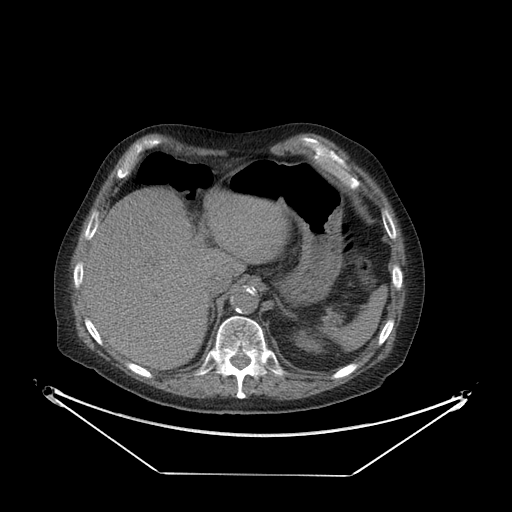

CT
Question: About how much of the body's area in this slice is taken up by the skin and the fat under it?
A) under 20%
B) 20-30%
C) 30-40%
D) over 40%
Answer: A) under 20%
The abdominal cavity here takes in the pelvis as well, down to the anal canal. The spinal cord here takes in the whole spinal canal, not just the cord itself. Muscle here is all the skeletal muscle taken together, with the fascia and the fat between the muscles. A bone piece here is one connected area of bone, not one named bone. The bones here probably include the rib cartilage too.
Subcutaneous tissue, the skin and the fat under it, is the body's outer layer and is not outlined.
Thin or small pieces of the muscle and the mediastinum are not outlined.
Outlined structures:
mediastinum 1: 244 284; 248 284; 249 285; 255 286; 260 295; 260 311; 259 312; 259 315; 260 316; 261 323; 260 324; 255 319; 249 316; 243 315; 239 313; 237 314; 232 314; 226 317; 221 321; 221 315; 224 308; 224 303; 228 294; 233 288
mediastinum 2: 366 197; 368 199; 369 199; 370 201; 371 201; 371 202; 373 204; 375 208; 379 212; 380 214; 376 214; 373 212; 371 212; 369 211; 368 209; 368 206; 367 205; 367 202; 366 201
abdominal cavity: 155 150; 206 158; 232 152; 303 154; 360 192; 368 211; 380 215; 391 249; 387 319; 369 347; 335 371; 284 367; 265 338; 261 295; 248 283; 227 294; 213 345; 197 367; 157 373; 104 342; 82 295; 86 252; 118 185; 139 157
bones 1: 238 314; 255 320; 261 326; 267 346; 273 351; 286 372; 283 375; 277 375; 268 370; 257 380; 247 374; 242 381; 244 398; 236 397; 237 379; 234 375; 223 377; 214 367; 202 375; 194 375; 195 370; 213 347; 220 324; 226 318; inner edge: 236 355; 245 355; 246 356; 247 356; 249 358; 249 363; 247 365; 246 365; 244 367; 243 367; 242 368; 238 368; 237 367; 236 367; 234 365; 233 365; 232 364; 232 363; 231 362; 231 358; 232 357; 233 357; 234 356; 235 356
bones 2: 302 137; 311 137; 317 139; 330 149; 333 150; 346 162; 349 167; 348 171; 352 175; 357 177; 360 182; 359 186; 355 189; 352 189; 329 170; 318 163; 316 163; 312 157; 314 154; 314 151; 302 143; 300 140; 300 138
bones 3: 153 138; 159 138; 161 140; 161 142; 157 145; 147 148; 142 151; 135 158; 134 163; 131 166; 129 173; 123 178; 120 179; 118 178; 116 175; 117 170; 122 165; 126 156; 132 149; 134 145; 137 143; 140 143; 145 139; 152 139
bones 4: 384 208; 387 209; 388 212; 390 214; 392 218; 392 220; 393 221; 393 223; 395 227; 395 231; 396 232; 396 236; 395 237; 395 239; 391 239; 389 237; 384 227; 384 225; 382 221; 382 217; 381 216; 381 211; 382 209
bones 5: 94 210; 97 210; 99 212; 99 215; 98 216; 98 218; 99 219; 99 222; 98 223; 97 228; 93 236; 91 238; 91 239; 88 240; 85 238; 84 234; 85 233; 85 230; 87 227; 87 225; 88 224; 90 216; 92 212
bones 6: 353 362; 356 363; 358 365; 358 366; 351 373; 350 373; 343 377; 340 377; 339 378; 335 378; 334 379; 332 379; 331 378; 330 378; 331 375; 337 370; 338 370; 340 368; 341 368; 342 367; 343 367; 350 363; 352 363
bones 7: 78 261; 82 261; 83 262; 83 277; 82 278; 82 282; 81 283; 81 284; 80 285; 80 286; 78 288; 76 288; 75 287; 75 285; 74 284; 74 280; 73 279; 73 271; 74 270; 74 268; 75 267; 75 265; 76 264; 76 263
bones 8: 390 318; 391 318; 394 320; 394 322; 393 323; 393 326; 392 327; 392 329; 391 330; 390 333; 388 335; 388 336; 384 341; 384 342; 381 345; 378 345; 378 336; 379 335; 382 328; 384 326; 386 321; 388 319; 389 319
bones 9: 394 264; 396 264; 397 265; 398 265; 399 266; 399 267; 400 268; 400 269; 401 270; 401 272; 402 273; 402 283; 401 284; 401 287; 399 289; 397 289; 392 284; 392 267; 393 266; 393 265
bones 10: 86 317; 89 318; 89 319; 91 321; 91 322; 93 324; 93 325; 97 330; 99 335; 101 337; 101 338; 103 341; 103 343; 102 344; 102 345; 100 345; 92 337; 92 336; 88 331; 88 330; 85 325; 85 323; 84 322; 84 319
bones 11: 128 361; 129 362; 131 362; 132 363; 137 364; 138 365; 139 365; 140 366; 141 366; 142 367; 147 369; 152 374; 152 377; 149 378; 148 377; 146 377; 145 376; 140 375; 139 374; 138 374; 137 373; 132 371; 126 366; 126 363
torso: 289 122; 325 125; 369 149; 384 167; 412 220; 423 253; 425 294; 419 324; 403 364; 379 388; 340 403; 299 412; 241 415; 189 412; 150 402; 63 355; 56 346; 55 259; 62 238; 108 152; 128 135; 159 123; 184 123; 242 132
muscle: 151 133; 187 145; 225 150; 268 148; 300 133; 314 133; 335 143; 371 175; 395 213; 406 260; 405 300; 388 356; 350 380; 310 396; 245 398; 247 375; 257 381; 268 371; 283 376; 285 368; 301 374; 334 372; 330 379; 343 378; 359 366; 355 361; 374 340; 377 338; 378 346; 385 342; 394 326; 395 320; 388 318; 392 286; 402 287; 403 273; 398 264; 390 263; 389 239; 397 236; 393 218; 387 208; 380 213; 356 189; 361 182; 349 171; 347 162; 311 136; 299 140; 313 151; 312 156; 266 150; 206 157; 155 149; 136 159; 162 140; 153 137; 135 143; 116 170; 116 177; 122 179; 101 215; 99 218; 100 212; 94 209; 89 216; 83 234; 89 241; 85 257; 72 271; 74 287; 81 286; 87 331; 100 346; 105 343; 127 360; 128 369; 150 379; 151 372; 178 374; 196 368; 193 375; 202 376; 214 368; 223 378; 235 377; 235 397; 194 398; 164 391; 135 379; 90 350; 75 327; 69 288; 71 257; 102 184; 129 146
spinal cord: 236 355; 245 355; 246 356; 247 356; 249 358; 249 363; 247 365; 246 365; 244 367; 243 367; 242 368; 238 368; 237 367; 236 367; 234 365; 233 365; 232 364; 232 363; 231 362; 231 358; 232 357; 233 357; 234 356; 235 356